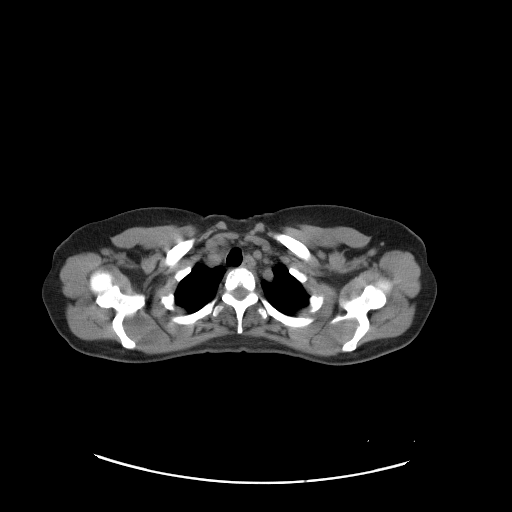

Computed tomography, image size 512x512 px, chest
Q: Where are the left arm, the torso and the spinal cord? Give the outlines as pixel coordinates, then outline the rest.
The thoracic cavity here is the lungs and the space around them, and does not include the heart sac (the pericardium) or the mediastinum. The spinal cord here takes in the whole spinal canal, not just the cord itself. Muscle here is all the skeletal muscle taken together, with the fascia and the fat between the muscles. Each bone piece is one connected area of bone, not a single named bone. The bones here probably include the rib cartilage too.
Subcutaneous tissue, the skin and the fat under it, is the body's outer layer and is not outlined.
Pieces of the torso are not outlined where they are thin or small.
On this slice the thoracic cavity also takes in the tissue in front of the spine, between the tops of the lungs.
A: Outlined structures:
left arm: 395 219; 403 223; 414 231; 423 240; 426 247; 427 261; 429 266; 434 273; 437 282; 437 294; 435 300; 430 305; 424 308; 411 309; 404 307; 391 301; 385 297; 371 283; 367 275; 366 271; 366 259; 368 252; 380 232; 391 221
torso: 302 204; 344 205; 394 219; 371 244; 366 275; 385 298; 404 308; 420 310; 434 302; 419 334; 398 350; 341 366; 244 351; 124 363; 75 350; 51 322; 45 306; 84 310; 102 300; 117 281; 117 254; 88 222; 148 206; 244 218
spinal cord: 240 286; 241 287; 242 287; 243 288; 244 288; 247 291; 247 294; 243 298; 242 298; 241 299; 238 299; 237 298; 236 298; 232 294; 232 292; 236 288; 237 288; 238 287; 239 287
right arm: 84 224; 86 224; 94 228; 111 244; 117 258; 117 277; 116 281; 112 288; 102 299; 97 303; 89 307; 80 310; 56 310; 52 309; 46 306; 43 303; 41 297; 41 287; 43 280; 50 269; 53 252; 58 244; 72 231
bones 1: 239 266; 257 276; 262 295; 277 310; 314 320; 303 327; 289 327; 271 316; 263 319; 254 304; 245 310; 242 332; 238 334; 235 310; 225 304; 216 316; 208 314; 191 325; 170 324; 172 316; 195 312; 211 301; 226 271 with a hole at 240 286; 241 287; 242 287; 243 288; 244 288; 247 291; 247 294; 243 298; 242 298; 241 299; 238 299; 237 298; 236 298; 232 294; 232 292; 236 288; 237 288; 238 287; 239 287
bones 2: 98 269; 108 271; 113 277; 113 282; 118 285; 120 291; 124 294; 139 293; 145 297; 145 304; 132 315; 125 316; 122 322; 125 332; 135 342; 133 349; 122 346; 112 327; 115 310; 101 307; 95 301; 96 295; 89 287; 89 277
bones 3: 381 278; 388 278; 392 282; 392 287; 386 294; 385 304; 378 309; 368 311; 368 330; 357 342; 354 350; 343 352; 342 345; 353 335; 358 323; 354 318; 330 323; 335 316; 346 313; 339 305; 339 300; 358 296; 367 284; 374 283
bones 4: 278 232; 280 233; 284 233; 285 234; 287 234; 297 239; 303 244; 304 244; 309 250; 312 256; 311 258; 309 260; 305 260; 297 256; 291 250; 290 250; 287 247; 286 247; 284 245; 277 241; 273 237; 273 234; 274 233; 277 233
bones 5: 193 237; 195 239; 195 241; 192 247; 190 248; 176 262; 176 263; 172 267; 170 267; 166 265; 164 263; 167 251; 171 249; 178 242; 178 241; 180 240; 185 240; 186 239; 188 239; 189 238; 192 238
bones 6: 312 294; 316 294; 317 295; 322 295; 323 296; 323 298; 324 299; 323 300; 323 303; 322 304; 322 305; 320 307; 320 308; 318 310; 317 310; 315 312; 310 312; 308 310; 308 305; 309 304; 309 297
bones 7: 171 292; 172 292; 174 295; 174 302; 175 303; 175 306; 176 307; 174 310; 169 310; 168 309; 167 309; 166 308; 165 308; 164 307; 164 306; 161 303; 161 302; 160 301; 160 298; 162 295; 166 295; 167 294; 168 294
bones 8: 289 267; 293 267; 294 268; 295 268; 296 269; 297 269; 300 272; 301 272; 302 273; 303 273; 304 274; 305 274; 307 276; 307 279; 305 281; 305 282; 303 284; 302 284; 295 277; 294 277; 289 272
bones 9: 187 266; 190 266; 191 267; 191 270; 190 271; 190 272; 188 274; 187 274; 179 282; 177 282; 175 280; 175 279; 174 278; 174 275; 175 274; 175 273; 178 270; 180 270; 181 269; 183 269; 184 268; 185 268
thoracic cavity: 221 238; 244 240; 265 246; 303 286; 309 295; 308 304; 299 309; 296 315; 280 311; 263 295; 258 285; 258 276; 239 265; 225 271; 222 283; 211 300; 195 311; 186 313; 186 310; 175 302; 174 293; 178 283; 191 272; 208 248
muscle: 221 220; 238 231; 259 221; 348 226; 371 236; 374 248; 410 252; 421 269; 412 324; 400 335; 357 347; 370 328; 369 311; 382 308; 393 287; 381 277; 338 300; 345 313; 329 323; 357 323; 336 355; 242 335; 251 306; 263 320; 295 329; 315 320; 298 311; 307 306; 315 313; 325 299; 310 295; 303 285; 308 276; 265 245; 221 237; 174 273; 174 292; 159 301; 169 311; 176 305; 185 310; 172 315; 170 325; 191 326; 230 306; 237 334; 166 353; 136 350; 123 322; 146 297; 124 293; 108 270; 98 268; 88 287; 99 307; 114 310; 111 327; 120 344; 79 338; 67 324; 59 278; 69 256; 97 251; 130 227, around holes outlined by 278 232; 280 233; 284 233; 285 234; 287 234; 297 239; 303 244; 304 244; 309 250; 312 256; 311 258; 309 260; 305 260; 297 256; 291 250; 290 250; 287 247; 286 247; 284 245; 277 241; 273 237; 273 234; 274 233; 277 233 and by 193 237; 195 239; 195 241; 192 247; 190 248; 176 262; 176 263; 172 267; 170 267; 166 265; 164 263; 167 251; 171 249; 178 242; 178 241; 180 240; 185 240; 186 239; 188 239; 189 238; 192 238